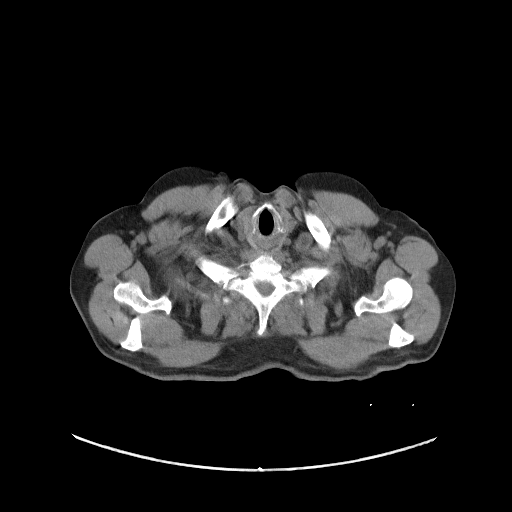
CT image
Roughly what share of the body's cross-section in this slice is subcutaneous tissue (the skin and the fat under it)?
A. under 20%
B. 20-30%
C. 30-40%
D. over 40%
Answer: B. 20-30%
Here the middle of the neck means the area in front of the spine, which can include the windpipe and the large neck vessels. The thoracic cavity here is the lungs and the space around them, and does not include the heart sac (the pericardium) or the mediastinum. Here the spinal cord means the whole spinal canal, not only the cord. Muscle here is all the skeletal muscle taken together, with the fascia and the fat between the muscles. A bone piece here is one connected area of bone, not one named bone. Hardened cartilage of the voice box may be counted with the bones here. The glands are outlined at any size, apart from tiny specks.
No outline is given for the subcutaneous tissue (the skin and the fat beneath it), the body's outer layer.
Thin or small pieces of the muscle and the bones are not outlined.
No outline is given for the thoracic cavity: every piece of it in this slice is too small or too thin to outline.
Outlines (x, y in pixels):
bones 1: (262, 253) (271, 255) (285, 269) (319, 265) (327, 266) (331, 271) (314, 287) (309, 286) (305, 292) (285, 295) (272, 308) (266, 329) (259, 336) (256, 332) (259, 324) (255, 306) (238, 292) (223, 289) (200, 270) (195, 260) (198, 256) (205, 255) (222, 265) (236, 267), around a hole outlined by (257, 282) (268, 282) (269, 283) (270, 283) (273, 286) (273, 290) (269, 294) (268, 294) (267, 295) (263, 295) (257, 289) (257, 288) (256, 287) (256, 283)
bones 2: (120, 281) (135, 282) (140, 286) (143, 293) (149, 299) (156, 299) (165, 294) (172, 303) (169, 314) (164, 310) (152, 310) (139, 316) (142, 347) (137, 351) (125, 349) (119, 343) (120, 340) (126, 336) (130, 322) (137, 314) (130, 306) (118, 302) (113, 297) (113, 289)
bones 3: (397, 276) (405, 279) (410, 284) (412, 288) (412, 297) (409, 303) (404, 308) (393, 310) (385, 313) (375, 313) (365, 311) (362, 312) (359, 316) (356, 315) (353, 306) (355, 301) (361, 295) (364, 295) (373, 300) (377, 299) (382, 294) (383, 285) (385, 282) (390, 278)
bones 4: (228, 194) (230, 194) (234, 197) (234, 201) (237, 205) (237, 207) (238, 208) (237, 211) (233, 215) (233, 216) (231, 217) (221, 227) (217, 229) (214, 229) (209, 233) (205, 233) (205, 227) (210, 217) (212, 215) (214, 210) (220, 203) (222, 199) (226, 195)
bones 5: (305, 210) (308, 210) (312, 213) (315, 214) (323, 222) (327, 231) (330, 234) (330, 244) (329, 245) (329, 247) (327, 250) (324, 250) (318, 244) (318, 243) (315, 240) (314, 237) (308, 229) (308, 228) (305, 223) (305, 220) (304, 219) (304, 216) (303, 215) (303, 212)
bones 6: (393, 321) (396, 322) (403, 329) (410, 333) (412, 333) (414, 335) (414, 339) (412, 342) (411, 342) (409, 344) (407, 344) (404, 346) (402, 346) (398, 348) (396, 347) (390, 347) (389, 346) (388, 344) (388, 338) (389, 337) (390, 328) (392, 325) (392, 322)
bones 7: (264, 202) (268, 202) (270, 203) (275, 208) (275, 209) (279, 213) (281, 217) (281, 221) (279, 220) (279, 219) (274, 213) (274, 212) (271, 209) (266, 206) (263, 207) (257, 214) (257, 215) (253, 219) (252, 219) (252, 215) (253, 213) (257, 209) (257, 208) (262, 205)
muscle: (217, 182) (246, 183) (263, 197) (279, 189) (348, 193) (378, 215) (388, 240) (425, 239) (438, 256) (430, 284) (441, 315) (432, 337) (411, 343) (415, 335) (393, 320) (391, 348) (349, 369) (314, 360) (292, 337) (276, 334) (238, 339) (198, 365) (163, 366) (138, 351) (140, 316) (169, 315) (172, 300) (120, 280) (112, 297) (136, 314) (119, 345) (108, 340) (88, 312) (89, 245) (107, 233) (130, 244) (146, 226) (141, 211) (158, 194) with holes at (262, 253) (271, 255) (285, 269) (319, 265) (327, 266) (331, 271) (314, 287) (309, 286) (305, 292) (285, 295) (272, 308) (266, 329) (259, 336) (256, 332) (259, 324) (255, 306) (238, 292) (223, 289) (200, 270) (195, 260) (198, 256) (205, 255) (222, 265) (236, 267) and at (264, 202) (270, 203) (279, 212) (282, 211) (287, 214) (290, 217) (291, 221) (294, 224) (297, 225) (297, 232) (295, 236) (291, 240) (291, 243) (288, 246) (276, 250) (260, 250) (244, 245) (237, 240) (234, 236) (233, 231) (231, 228) (231, 225) (245, 213) (251, 212) and at (397, 276) (405, 279) (410, 284) (412, 288) (412, 297) (409, 303) (404, 308) (393, 310) (385, 313) (375, 313) (365, 311) (362, 312) (359, 316) (356, 315) (353, 306) (355, 301) (361, 295) (364, 295) (373, 300) (377, 299) (382, 294) (383, 285) (385, 282) (390, 278) and at (228, 194) (230, 194) (234, 197) (234, 201) (237, 205) (237, 207) (238, 208) (237, 211) (233, 215) (233, 216) (231, 217) (221, 227) (217, 229) (214, 229) (209, 233) (205, 233) (205, 227) (210, 217) (212, 215) (214, 210) (220, 203) (222, 199) (226, 195) and at (305, 210) (308, 210) (312, 213) (315, 214) (323, 222) (327, 231) (330, 234) (330, 244) (329, 245) (329, 247) (327, 250) (324, 250) (318, 244) (318, 243) (315, 240) (314, 237) (308, 229) (308, 228) (305, 223) (305, 220) (304, 219) (304, 216) (303, 215) (303, 212) and at (225, 296) (226, 296) (227, 297) (228, 297) (229, 298) (230, 299) (230, 300) (230, 301) (230, 302) (229, 303) (228, 303) (227, 303) (226, 304) (225, 304) (224, 303) (223, 302) (222, 301) (222, 300) (222, 299) (222, 298) (223, 297) (224, 297)
spinal cord: (257, 282) (268, 282) (269, 283) (270, 283) (273, 286) (273, 290) (269, 294) (268, 294) (267, 295) (263, 295) (257, 289) (257, 288) (256, 287) (256, 283)
thyroid glands 1: (248, 212) (250, 212) (251, 213) (251, 214) (250, 215) (250, 220) (249, 221) (249, 223) (248, 224) (248, 231) (246, 233) (243, 233) (242, 232) (242, 228) (243, 227) (243, 225) (240, 222) (240, 218) (245, 213) (247, 213)
thyroid glands 2: (281, 211) (282, 211) (284, 213) (285, 213) (286, 214) (287, 214) (290, 217) (290, 218) (291, 219) (291, 224) (289, 226) (289, 227) (288, 228) (288, 229) (284, 229) (284, 223) (283, 222) (283, 221) (282, 220) (282, 217) (281, 216) (281, 215) (280, 214) (280, 212)
torso: (184, 165) (226, 171) (263, 192) (292, 187) (306, 172) (340, 172) (360, 181) (382, 206) (417, 221) (422, 274) (453, 303) (433, 356) (361, 381) (310, 381) (275, 367) (236, 381) (164, 381) (102, 354) (76, 309) (104, 274) (90, 227) (108, 212) (137, 203) (157, 178)
middle of the neck: (265, 207) (282, 221) (283, 227) (278, 229) (281, 233) (288, 230) (292, 222) (297, 225) (297, 232) (288, 246) (276, 250) (260, 250) (244, 245) (234, 236) (231, 225) (236, 220) (239, 219) (242, 225) (241, 232) (246, 234) (249, 231) (251, 215) (253, 220)
left arm: (419, 223) (421, 226) (429, 231) (434, 238) (436, 243) (446, 255) (453, 267) (455, 273) (455, 278) (456, 279) (456, 290) (455, 291) (454, 303) (437, 293) (429, 285) (423, 274) (421, 268) (421, 265) (420, 264) (418, 248) (417, 247) (417, 230) (418, 229) (418, 225)
right arm: (89, 228) (92, 232) (93, 235) (95, 236) (98, 242) (99, 248) (102, 253) (102, 258) (103, 259) (103, 274) (98, 285) (94, 291) (83, 302) (75, 307) (69, 292) (69, 275) (70, 274) (70, 270) (71, 269) (72, 264) (79, 251) (79, 249) (81, 246) (83, 239)